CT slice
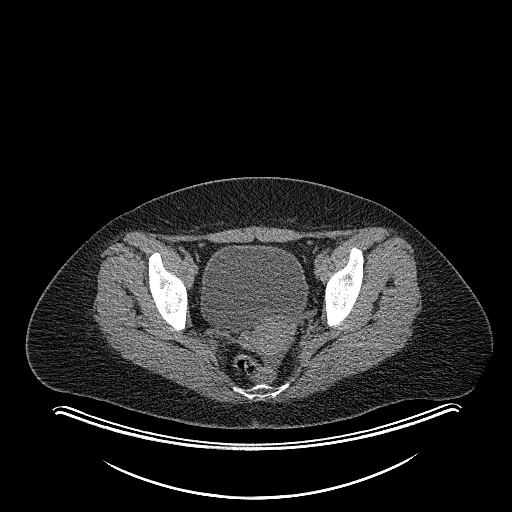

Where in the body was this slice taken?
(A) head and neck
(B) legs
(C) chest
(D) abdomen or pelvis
(D) abdomen or pelvis
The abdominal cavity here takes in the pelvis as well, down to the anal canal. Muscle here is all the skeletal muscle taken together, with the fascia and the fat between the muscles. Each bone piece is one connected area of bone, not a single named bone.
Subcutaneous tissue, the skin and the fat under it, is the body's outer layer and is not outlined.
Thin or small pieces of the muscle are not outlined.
{"muscle":[{"outer":[[252,225],[307,232],[368,226],[385,226],[399,231],[413,248],[421,293],[421,310],[412,323],[413,332],[408,343],[377,365],[326,389],[276,403],[259,401],[231,404],[216,401],[121,357],[102,337],[92,313],[100,255],[115,236],[132,230],[196,235]],"hole":[[306,237],[338,240],[317,274],[324,285],[346,265],[352,247],[362,251],[359,293],[347,316],[334,326],[327,323],[324,303],[319,325],[308,334],[282,382],[288,381],[289,386],[275,397],[250,400],[232,389],[234,385],[242,386],[222,370],[216,354],[193,327],[188,308],[184,329],[175,330],[162,317],[149,289],[148,258],[158,252],[163,266],[182,280],[188,292],[194,283],[194,270],[172,243],[255,239],[287,242]]}],"bones":[[[154,252],[158,252],[160,254],[163,266],[168,271],[180,278],[186,288],[187,291],[187,304],[188,305],[188,308],[186,312],[185,327],[184,329],[177,331],[175,330],[171,325],[167,323],[158,311],[153,300],[152,295],[149,289],[148,258],[149,256]],[[352,247],[356,247],[360,249],[362,251],[364,257],[363,277],[360,290],[357,298],[347,316],[339,324],[334,326],[329,326],[327,323],[327,317],[326,316],[326,310],[324,302],[325,286],[329,278],[336,271],[341,269],[346,265],[348,262],[350,250]],[[288,381],[290,383],[289,386],[280,392],[275,397],[266,396],[262,399],[259,399],[257,397],[254,397],[250,400],[244,395],[238,392],[236,392],[232,389],[232,387],[234,385],[242,388],[249,388],[254,385],[261,384],[262,383],[270,385],[275,388]]],"torso":[[[245,176],[295,178],[332,186],[389,208],[423,234],[471,288],[491,325],[493,348],[473,389],[452,399],[402,400],[353,418],[314,426],[225,429],[189,425],[56,391],[38,380],[25,353],[28,322],[47,284],[80,245],[114,217],[150,199],[202,182]]],"abdominal_cavity":[[[306,237],[338,240],[338,244],[321,262],[317,274],[325,285],[320,323],[308,334],[282,383],[271,385],[262,382],[242,386],[222,370],[216,354],[193,327],[188,292],[194,283],[194,270],[170,244],[198,240],[250,242],[255,239],[287,242]]]}